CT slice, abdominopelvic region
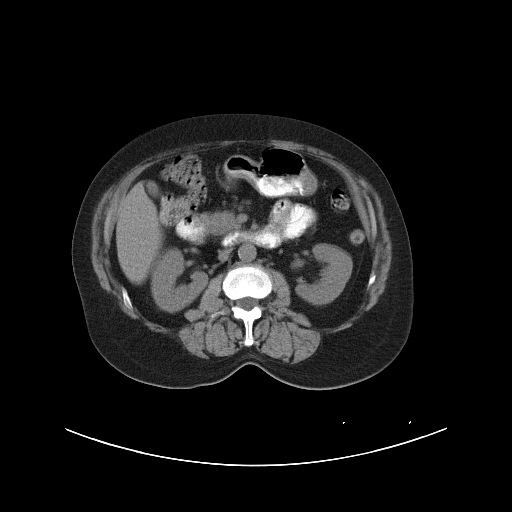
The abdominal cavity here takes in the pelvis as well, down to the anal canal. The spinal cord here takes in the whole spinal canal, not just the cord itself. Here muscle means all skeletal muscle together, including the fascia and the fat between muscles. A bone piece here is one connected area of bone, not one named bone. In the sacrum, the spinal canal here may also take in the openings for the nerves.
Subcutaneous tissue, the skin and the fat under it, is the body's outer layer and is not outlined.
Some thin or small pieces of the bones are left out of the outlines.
{"bones":[{"outer":[[245,264],[262,266],[270,275],[272,281],[271,292],[260,302],[262,307],[262,314],[253,322],[252,336],[254,342],[250,346],[246,346],[243,342],[245,338],[244,323],[241,319],[233,317],[230,308],[231,301],[222,289],[222,282],[228,270],[236,266]],"hole":[[245,297],[250,297],[251,298],[253,298],[254,299],[257,300],[257,304],[256,304],[252,308],[251,308],[249,310],[246,310],[245,309],[244,309],[242,307],[240,307],[239,306],[238,306],[236,304],[236,301],[239,299],[241,299],[242,298],[244,298]]},[[368,201],[370,202],[372,206],[372,208],[374,212],[374,216],[375,217],[375,224],[376,225],[376,227],[375,228],[375,236],[374,237],[373,237],[372,235],[372,226],[371,225],[371,220],[370,219],[370,214],[369,213],[369,209],[368,208]],[[122,286],[123,286],[127,291],[127,293],[129,296],[129,298],[130,299],[130,300],[131,301],[131,303],[132,304],[132,308],[129,308],[127,306],[126,306],[125,305],[125,304],[123,301],[123,296],[122,295],[122,291],[121,290],[121,287]]],"abdominal_cavity":[[[233,145],[283,147],[341,175],[372,256],[363,299],[351,315],[331,325],[314,325],[289,307],[291,290],[280,271],[245,263],[212,277],[197,307],[184,312],[186,321],[178,327],[148,319],[132,303],[112,273],[109,255],[111,235],[131,183],[172,156]]],"muscle":[{"outer":[[232,139],[290,140],[322,149],[364,176],[381,199],[392,249],[385,289],[366,316],[329,336],[314,356],[298,365],[275,361],[252,346],[254,322],[263,314],[261,302],[273,287],[267,270],[284,276],[290,290],[288,307],[317,327],[331,326],[351,316],[376,279],[371,273],[373,256],[368,234],[342,175],[315,158],[277,145],[227,145],[172,155],[144,169],[125,191],[108,249],[110,270],[121,285],[124,305],[129,309],[133,305],[152,322],[178,328],[187,321],[185,312],[198,307],[210,280],[224,273],[221,289],[230,301],[232,317],[241,320],[244,327],[245,347],[236,353],[218,361],[201,360],[173,339],[138,323],[115,306],[93,269],[92,218],[110,185],[159,152]],"holes":[[[368,201],[370,202],[372,206],[372,208],[374,212],[374,216],[375,217],[375,224],[376,225],[376,227],[375,228],[375,236],[374,237],[373,237],[372,235],[372,226],[371,225],[371,220],[370,219],[370,214],[369,213],[369,209],[368,208]],[[219,311],[223,311],[224,312],[224,313],[223,314],[219,314],[218,315],[217,315],[216,316],[215,316],[214,317],[211,317],[211,315],[213,313],[214,313],[215,312],[218,312]]]}],"spinal_cord":[[[245,297],[250,297],[251,298],[253,298],[254,299],[257,300],[257,304],[256,304],[252,308],[251,308],[249,310],[246,310],[245,309],[244,309],[242,307],[240,307],[239,306],[238,306],[236,304],[236,301],[239,299],[241,299],[242,298],[244,298]]],"torso":[[[221,111],[273,113],[322,125],[353,141],[383,170],[409,236],[414,307],[411,329],[403,348],[379,373],[351,385],[314,390],[289,385],[247,364],[214,384],[171,389],[122,374],[92,344],[71,261],[74,224],[91,180],[116,151],[141,133],[180,117]]]}